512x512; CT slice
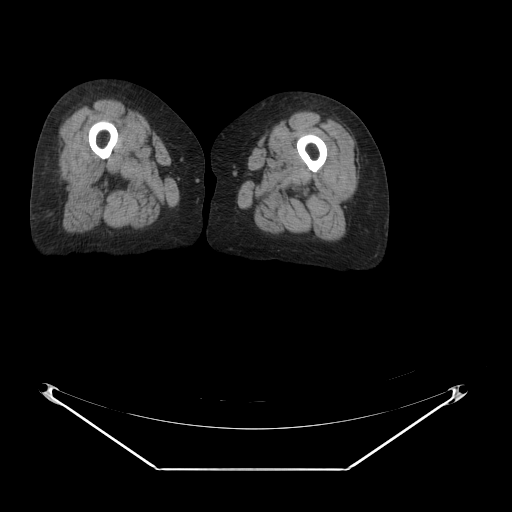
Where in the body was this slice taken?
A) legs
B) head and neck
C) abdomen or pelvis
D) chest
Answer: A) legs
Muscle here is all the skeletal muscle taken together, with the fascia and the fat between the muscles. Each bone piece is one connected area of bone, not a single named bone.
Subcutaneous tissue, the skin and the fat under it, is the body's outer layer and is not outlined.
{"right_leg":[[[103,77],[129,80],[149,89],[184,120],[199,141],[205,162],[203,227],[199,239],[192,247],[179,251],[152,251],[121,257],[97,253],[70,254],[62,259],[46,257],[36,251],[30,237],[29,198],[34,151],[43,122],[53,104],[64,92],[83,81]]],"muscle":[{"outer":[[108,97],[112,97],[133,105],[141,111],[154,125],[161,139],[170,152],[175,168],[182,179],[181,198],[179,204],[168,214],[144,230],[114,236],[93,236],[86,234],[71,237],[60,234],[58,218],[59,216],[58,129],[63,121],[65,111],[90,101]],"hole":[[100,120],[106,120],[113,123],[116,127],[117,129],[117,132],[118,133],[117,142],[115,146],[113,148],[110,156],[106,159],[102,159],[95,153],[94,153],[91,149],[89,145],[89,142],[88,141],[88,132],[89,131],[89,128],[92,125],[92,124]]},{"outer":[[303,110],[314,111],[332,116],[340,121],[355,138],[359,150],[360,176],[347,232],[340,241],[333,244],[326,243],[318,246],[306,240],[270,237],[256,228],[237,208],[236,196],[243,179],[247,158],[251,150],[268,127],[286,118],[294,112]],"hole":[[305,134],[314,134],[320,137],[324,141],[327,147],[327,156],[326,157],[325,162],[323,164],[323,165],[316,172],[313,172],[311,171],[307,167],[306,164],[302,160],[297,151],[297,148],[296,147],[296,142],[298,138],[299,138],[301,136]]}],"bones":[[[100,120],[106,120],[113,123],[116,127],[117,129],[117,132],[118,133],[117,142],[115,146],[113,148],[110,156],[106,159],[102,159],[95,153],[94,153],[91,149],[89,145],[89,142],[88,141],[88,132],[89,131],[89,128],[92,125],[92,124]],[[305,134],[314,134],[320,137],[324,141],[327,147],[327,156],[326,157],[325,162],[323,164],[323,165],[316,172],[313,172],[311,171],[307,167],[306,164],[302,160],[297,151],[297,148],[296,147],[296,142],[298,138],[299,138],[301,136]]],"left_leg":[[[285,90],[311,91],[336,99],[360,117],[376,142],[386,170],[390,205],[387,249],[383,261],[377,267],[340,273],[321,267],[282,263],[275,260],[250,261],[220,254],[209,246],[206,225],[216,181],[210,165],[211,145],[222,128],[248,107],[270,94]]]}